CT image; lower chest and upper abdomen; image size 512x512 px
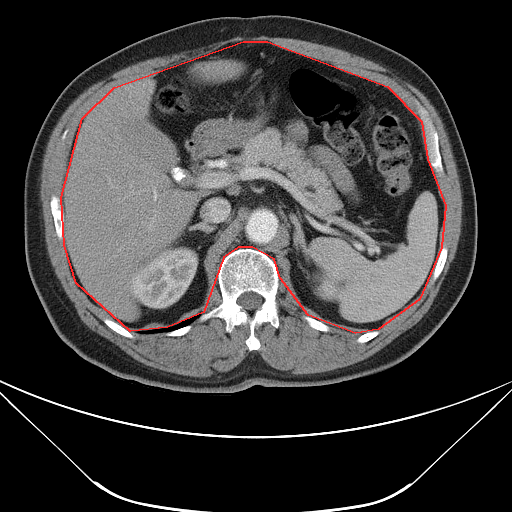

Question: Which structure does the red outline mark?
Answer: red: abdominal cavity.
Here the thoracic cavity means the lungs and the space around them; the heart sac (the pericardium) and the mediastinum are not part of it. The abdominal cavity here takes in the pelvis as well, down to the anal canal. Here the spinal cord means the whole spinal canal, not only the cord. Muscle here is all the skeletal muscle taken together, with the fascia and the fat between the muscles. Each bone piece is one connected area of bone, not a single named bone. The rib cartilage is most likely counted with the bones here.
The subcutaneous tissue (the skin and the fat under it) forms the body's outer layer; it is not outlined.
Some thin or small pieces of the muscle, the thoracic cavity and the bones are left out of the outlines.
The abdominal cavity is outlined by (243, 41) (267, 41) (387, 86) (421, 121) (427, 159) (445, 205) (441, 247) (419, 299) (378, 329) (355, 333) (308, 315) (280, 278) (274, 259) (252, 247) (238, 247) (223, 257) (203, 312) (167, 327) (130, 331) (76, 283) (64, 245) (61, 197) (82, 118) (114, 87). The thoracic cavity is outlined by (197, 314) (200, 314) (200, 315) (197, 319) (191, 323) (187, 325) (176, 328) (173, 330) (168, 331) (165, 333) (164, 332) (160, 332) (159, 333) (139, 333) (138, 332) (171, 327) (177, 324) (179, 324) (180, 322). The muscle appears in 2 outlined pieces: piece 1: (261, 35) (320, 43) (364, 57) (389, 68) (427, 97) (444, 125) (459, 176) (462, 214) (455, 256) (428, 311) (368, 358) (312, 374) (292, 374) (270, 366) (257, 352) (261, 343) (256, 328) (264, 323) (276, 329) (280, 325) (277, 301) (280, 279) (306, 314) (301, 318) (311, 328) (328, 332) (331, 327) (358, 334) (355, 341) (362, 344) (376, 337) (380, 328) (417, 302) (430, 282) (435, 282) (442, 273) (448, 257) (448, 248) (442, 246) (441, 239) (446, 205) (439, 176) (444, 174) (444, 166) (439, 135) (429, 112) (412, 97) (418, 117) (389, 86) (267, 40) (230, 42) (209, 53) (164, 67) (155, 75) (119, 84) (104, 92) (79, 121) (63, 176) (61, 196) (52, 194) (49, 200) (55, 235) (63, 240) (75, 283) (107, 316) (102, 319) (103, 323) (129, 339) (135, 337) (131, 332) (180, 337) (192, 329) (196, 320) (204, 322) (210, 318) (223, 320) (228, 334) (236, 326) (248, 327) (244, 342) (250, 353) (229, 371) (197, 378) (160, 370) (134, 359) (92, 331) (80, 319) (56, 276) (47, 253) (39, 195) (45, 148) (67, 107) (92, 84) (114, 72) (156, 56) (236, 36); piece 2: (216, 280) (217, 282) (218, 290) (219, 291) (220, 297) (221, 298) (221, 301) (217, 305) (213, 306) (207, 311) (204, 311) (204, 310) (206, 309) (206, 306) (207, 305) (207, 298) (208, 297) (208, 293) (210, 290) (211, 286) (214, 283) (214, 282) (216, 281). The torso is outlined by (263, 15) (294, 16) (359, 34) (406, 56) (434, 81) (457, 127) (475, 189) (477, 248) (468, 284) (417, 350) (366, 377) (314, 387) (253, 385) (234, 393) (189, 393) (114, 376) (83, 359) (58, 336) (28, 272) (23, 195) (35, 138) (67, 84) (102, 58) (190, 22). The spinal cord is outlined by (251, 291) (252, 292) (254, 292) (260, 295) (262, 297) (263, 300) (259, 308) (257, 309) (255, 309) (253, 311) (248, 311) (245, 309) (242, 309) (243, 307) (241, 305) (237, 303) (237, 299) (243, 293) (245, 292) (250, 292). The bones appear in 8 outlined pieces: piece 1: (238, 248) (264, 252) (275, 262) (279, 275) (276, 294) (279, 325) (276, 328) (264, 322) (255, 328) (260, 343) (257, 350) (249, 350) (245, 342) (249, 336) (247, 324) (236, 325) (228, 333) (225, 321) (219, 317) (198, 319) (222, 301) (217, 281) (218, 267) (226, 255), around a hole outlined by (251, 291) (252, 292) (254, 292) (260, 295) (262, 297) (263, 300) (259, 308) (257, 309) (255, 309) (253, 311) (248, 311) (245, 309) (242, 309) (243, 307) (241, 305) (237, 303) (237, 299) (243, 293) (245, 292) (250, 292); piece 2: (412, 98) (417, 99) (428, 112) (433, 125) (437, 132) (439, 152) (441, 156) (441, 161) (443, 166) (443, 174) (442, 175) (439, 175) (434, 171) (428, 159) (427, 149) (424, 137) (424, 132) (423, 131) (423, 124) (420, 119) (420, 116) (418, 113) (416, 105) (414, 103); piece 3: (52, 195) (55, 195) (58, 197) (60, 197) (61, 199) (61, 207) (63, 212) (63, 232) (62, 233) (62, 239) (59, 239) (57, 237) (56, 235) (56, 232) (55, 231) (54, 220) (53, 219) (53, 216) (51, 213) (51, 209) (50, 208) (50, 200); piece 4: (443, 246) (446, 246) (447, 248) (447, 257) (444, 263) (443, 269) (441, 273) (435, 281) (431, 282) (430, 281) (430, 279) (432, 276) (432, 273) (433, 272) (434, 267) (436, 264) (436, 262) (437, 261) (437, 259) (439, 255) (440, 249); piece 5: (106, 317) (108, 318) (110, 318) (114, 321) (115, 321) (117, 323) (120, 324) (124, 328) (125, 328) (131, 333) (132, 333) (134, 337) (133, 338) (129, 338) (128, 337) (123, 336) (117, 333) (112, 329) (111, 329) (108, 326) (107, 326) (104, 323) (103, 321) (103, 319); piece 6: (303, 315) (307, 315) (312, 318) (314, 318) (316, 320) (318, 320) (319, 321) (322, 322) (324, 324) (326, 324) (330, 327) (330, 329) (328, 331) (321, 331) (320, 330) (318, 330) (317, 329) (315, 329) (314, 328) (311, 327) (308, 324) (308, 323) (302, 318) (302, 316); piece 7: (373, 330) (379, 330) (379, 333) (376, 336) (375, 336) (370, 340) (369, 340) (366, 342) (363, 342) (362, 343) (360, 343) (359, 342) (357, 342) (356, 341) (356, 339) (360, 335) (361, 335) (362, 334) (363, 334) (364, 333) (365, 333) (368, 331) (372, 331); piece 8: (190, 324) (192, 325) (192, 327) (191, 329) (187, 333) (183, 335) (181, 335) (180, 336) (168, 336) (166, 335) (166, 333) (168, 332) (170, 332) (176, 329) (178, 329) (179, 328) (181, 328) (182, 327) (187, 326).